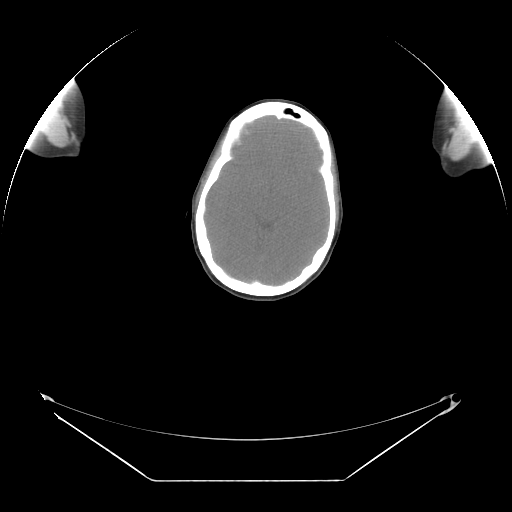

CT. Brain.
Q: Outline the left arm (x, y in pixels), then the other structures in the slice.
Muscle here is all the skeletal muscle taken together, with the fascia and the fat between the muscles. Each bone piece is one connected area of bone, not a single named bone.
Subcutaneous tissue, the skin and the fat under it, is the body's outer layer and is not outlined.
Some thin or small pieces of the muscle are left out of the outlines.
A: The left arm is outlined by 445,89 448,89 453,92 464,106 478,128 485,141 488,151 491,157 494,160 494,162 486,168 480,170 470,171 458,178 451,178 444,174 440,167 439,158 432,148 430,143 432,124 436,103 440,93. The head is outlined by 267,97 298,101 307,106 328,127 337,154 343,221 341,233 329,262 315,280 289,297 275,301 254,301 234,296 208,278 192,247 190,213 186,215 184,221 181,221 180,217 226,120 248,103. The right arm is outlined by 70,79 73,79 79,85 85,101 85,116 86,117 87,134 85,138 85,141 81,148 80,154 77,157 44,158 37,156 30,152 29,149 25,148 24,144 28,140 29,136 31,134 36,123 48,105 58,92. The brain is outlined by 265,116 292,120 311,130 321,151 321,162 317,171 322,178 328,207 328,222 322,243 310,261 295,276 278,284 257,279 246,281 229,274 213,256 204,217 208,193 223,166 234,157 232,148 240,141 244,126. The bones are outlined by 266,101 282,101 297,105 312,114 325,128 329,137 332,155 331,172 335,201 335,229 331,245 322,263 303,283 277,295 252,295 226,286 210,271 197,245 195,214 203,186 220,155 221,143 230,121 245,109; inner edge: 265,116 292,120 311,130 321,151 321,162 317,171 322,178 328,207 328,222 322,243 310,261 295,276 278,284 257,279 246,281 229,274 213,256 204,217 208,193 223,166 234,157 232,148 240,141 244,126. The muscle appears in 3 outlined pieces: piece 1: 459,100 470,115 471,118 478,128 484,140 482,141 469,155 466,156 464,158 460,159 457,162 449,162 444,158 442,154 442,138 445,134 447,130 447,128 449,125 450,120 456,110 456,108 457,107 457,103; piece 2: 63,87 67,95 67,98 69,102 69,112 70,113 70,119 71,120 71,132 72,133 72,144 71,146 67,148 64,148 63,147 54,147 47,138 46,138 39,131 36,130 34,128 36,123 48,105 58,92; piece 3: 224,133 224,135 221,140 220,146 219,147 219,155 215,159 205,179 205,181 202,186 199,195 198,202 194,214 194,226 193,206 194,205 195,196 197,193 201,180 209,164 209,162 219,143 219,141 221,139.